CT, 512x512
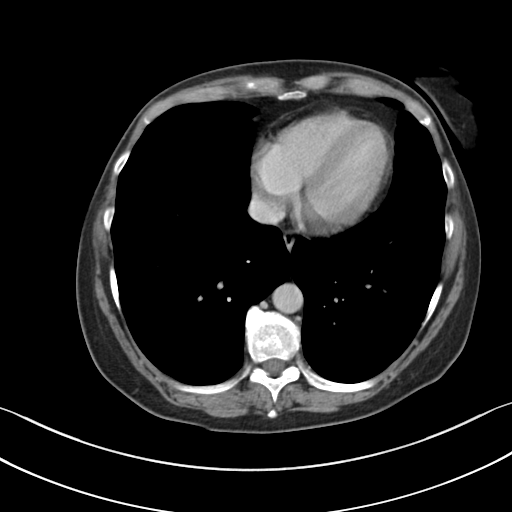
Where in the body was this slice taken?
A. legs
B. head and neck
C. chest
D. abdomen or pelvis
Answer: C. chest
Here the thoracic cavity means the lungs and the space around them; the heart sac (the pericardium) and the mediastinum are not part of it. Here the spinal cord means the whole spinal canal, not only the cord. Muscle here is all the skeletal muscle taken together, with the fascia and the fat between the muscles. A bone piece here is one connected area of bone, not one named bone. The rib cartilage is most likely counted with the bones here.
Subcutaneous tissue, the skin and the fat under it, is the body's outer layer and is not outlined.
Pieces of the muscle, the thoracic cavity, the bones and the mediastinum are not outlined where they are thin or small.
Outlined structures:
spinal cord: (273, 358) (276, 358) (277, 359) (282, 360) (285, 363) (285, 366) (284, 368) (280, 372) (280, 373) (276, 376) (271, 376) (269, 375) (269, 373) (267, 371) (266, 371) (263, 368) (262, 366) (262, 364) (265, 361) (269, 359) (272, 359)
thoracic cavity: (384, 96) (428, 130) (446, 187) (438, 281) (401, 354) (356, 382) (314, 371) (291, 269) (246, 310) (234, 375) (189, 384) (161, 371) (123, 314) (110, 231) (118, 176) (146, 126) (184, 103) (256, 108) (246, 211) (290, 255) (297, 237) (343, 232) (386, 197) (401, 110)
torso 1: (284, 58) (332, 59) (381, 70) (415, 89) (436, 112) (467, 182) (480, 235) (480, 283) (467, 340) (437, 380) (391, 407) (357, 420) (286, 432) (239, 433) (160, 418) (113, 387) (97, 369) (86, 346) (75, 293) (84, 215) (108, 158) (132, 118) (152, 96) (202, 71)
torso 2: (427, 73) (449, 73) (456, 76) (461, 80) (461, 82) (463, 85) (461, 88) (461, 91) (475, 105) (476, 118) (481, 132) (480, 147) (479, 148) (480, 159) (477, 163) (474, 162) (470, 158) (467, 152) (450, 130) (431, 100) (414, 82) (412, 78) (413, 76) (426, 74)
pericardium: (313, 100) (332, 100) (370, 111) (387, 125) (393, 140) (393, 170) (391, 179) (383, 197) (375, 209) (355, 224) (328, 236) (306, 236) (294, 231) (285, 223) (280, 222) (275, 224) (269, 222) (270, 219) (252, 195) (250, 180) (250, 162) (252, 150) (261, 130) (278, 115)
muscle 1: (430, 115) (458, 181) (467, 236) (464, 283) (437, 334) (387, 387) (336, 411) (298, 410) (276, 417) (278, 413) (273, 407) (267, 417) (253, 413) (217, 417) (167, 401) (136, 370) (94, 292) (92, 228) (113, 165) (112, 172) (117, 176) (114, 204) (107, 206) (102, 215) (113, 250) (113, 264) (108, 268) (111, 296) (139, 349) (161, 372) (175, 380) (171, 383) (175, 389) (217, 394) (247, 377) (250, 383) (264, 386) (275, 403) (280, 391) (302, 375) (317, 389) (353, 393) (378, 383) (380, 379) (376, 376) (402, 354) (420, 327) (427, 324) (443, 291) (444, 285) (439, 281) (442, 254) (445, 241) (454, 230) (454, 219) (445, 212) (445, 205) (447, 189) (454, 186) (455, 178) (448, 161) (441, 161) (437, 152) (430, 133)
muscle 2: (323, 71) (347, 71) (348, 72) (353, 72) (363, 75) (367, 75) (383, 81) (391, 86) (403, 91) (417, 100) (427, 110) (429, 114) (414, 100) (405, 97) (395, 98) (394, 97) (395, 96) (392, 95) (387, 89) (370, 81) (361, 79) (357, 77) (346, 77) (342, 79) (335, 87) (334, 90) (335, 91) (318, 90) (317, 91) (310, 91) (309, 92) (309, 91) (321, 90) (327, 87) (330, 84) (331, 78) (326, 74) (310, 75) (301, 79) (295, 79) (293, 81) (293, 84) (297, 86) (297, 87) (291, 89) (282, 87) (281, 83) (276, 79) (272, 79) (267, 77) (257, 77) (250, 79) (243, 79) (241, 81) (236, 83) (216, 84) (209, 86) (197, 87) (185, 92) (182, 92) (170, 96) (160, 101) (154, 105) (153, 107) (143, 116) (142, 122) (145, 127) (133, 145) (131, 150) (130, 149) (126, 149) (122, 152) (138, 120) (142, 114) (153, 103) (172, 94) (180, 89) (189, 87) (196, 84) (199, 84) (206, 81) (210, 81) (218, 78) (226, 77) (227, 76) (233, 76) (234, 75) (250, 74) (254, 76) (269, 75) (270, 76) (276, 76) (283, 78) (300, 78) (309, 75) (313, 75)
mediastinum 1: (318, 91) (383, 96) (379, 99) (382, 102) (400, 110) (394, 131) (394, 146) (392, 132) (380, 117) (370, 110) (332, 99) (313, 99) (278, 114) (260, 130) (254, 143) (254, 124) (251, 119) (258, 112) (257, 108) (243, 101) (222, 100) (252, 96) (299, 100) (310, 92)
mediastinum 2: (291, 270) (291, 273) (292, 274) (293, 280) (295, 282) (297, 286) (301, 290) (303, 294) (303, 314) (302, 315) (301, 325) (300, 326) (289, 317) (275, 310) (264, 310) (258, 305) (258, 304) (268, 295) (269, 295) (277, 286) (283, 283) (288, 279) (290, 275) (290, 272)
mediastinum 3: (251, 190) (252, 197) (269, 219) (268, 222) (269, 223) (275, 225) (280, 223) (285, 224) (294, 232) (306, 237) (330, 236) (307, 239) (299, 235) (295, 239) (291, 248) (290, 254) (284, 241) (282, 232) (276, 226) (258, 223) (252, 219) (249, 215) (247, 208) (251, 199)
mediastinum 4: (393, 171) (393, 179) (392, 180) (391, 185) (385, 197) (383, 199) (383, 200) (381, 202) (379, 206) (376, 209) (376, 208) (384, 197) (384, 195) (386, 192) (386, 190) (390, 185) (390, 183) (392, 179) (392, 176) (393, 175)
bones 1: (252, 305) (275, 311) (300, 327) (301, 355) (318, 375) (341, 383) (373, 377) (379, 380) (366, 389) (341, 392) (310, 385) (301, 374) (279, 391) (275, 402) (264, 385) (250, 382) (247, 376) (217, 393) (175, 388) (175, 381) (211, 385) (242, 371) (250, 361) (245, 317); inner edge: (273, 358) (276, 358) (277, 359) (282, 360) (285, 363) (285, 366) (284, 368) (280, 372) (280, 373) (276, 376) (271, 376) (269, 375) (269, 373) (267, 371) (266, 371) (263, 368) (262, 366) (262, 364) (265, 361) (269, 359) (272, 359)
bones 2: (317, 75) (328, 76) (329, 84) (321, 89) (309, 90) (305, 97) (299, 99) (278, 99) (269, 92) (238, 92) (234, 97) (230, 94) (218, 100) (179, 103) (147, 125) (143, 122) (144, 116) (160, 102) (197, 88) (267, 78) (291, 90) (298, 87) (294, 84) (295, 80)
bones 3: (346, 78) (357, 78) (361, 80) (364, 80) (370, 82) (387, 90) (392, 96) (394, 96) (391, 97) (385, 95) (360, 95) (359, 94) (350, 93) (349, 92) (343, 92) (342, 93) (336, 92) (335, 90) (336, 87) (342, 80)
bones 4: (399, 98) (405, 98) (406, 99) (409, 99) (410, 100) (414, 101) (417, 103) (419, 106) (429, 115) (431, 119) (431, 130) (430, 131) (429, 131) (429, 130) (426, 127) (421, 124) (418, 121) (418, 120) (408, 110) (405, 108) (404, 104) (400, 100) (397, 99)
bones 5: (438, 282) (441, 282) (443, 285) (441, 294) (439, 297) (438, 302) (435, 307) (435, 309) (433, 313) (431, 315) (430, 318) (428, 320) (426, 324) (421, 328) (421, 324) (426, 315) (426, 312) (427, 311) (427, 308) (428, 307) (429, 302) (431, 299) (433, 292)
bones 6: (112, 264) (114, 267) (114, 270) (115, 271) (115, 275) (116, 276) (116, 280) (117, 281) (117, 288) (119, 293) (119, 302) (120, 303) (122, 313) (119, 312) (115, 304) (115, 302) (112, 296) (111, 289) (110, 288) (110, 283) (109, 282) (109, 268)
bones 7: (444, 159) (445, 159) (449, 164) (452, 170) (452, 172) (453, 173) (454, 182) (453, 183) (453, 186) (451, 188) (447, 188) (446, 186) (446, 183) (444, 180) (444, 177) (443, 176) (443, 172) (442, 171) (442, 164) (441, 162) (442, 160)
bones 8: (126, 150) (130, 150) (130, 153) (129, 154) (129, 156) (128, 157) (128, 158) (127, 159) (124, 166) (120, 171) (119, 174) (118, 175) (115, 175) (113, 172) (113, 168) (114, 167) (114, 164) (115, 163) (116, 160) (118, 158) (118, 157) (124, 151) (125, 151)